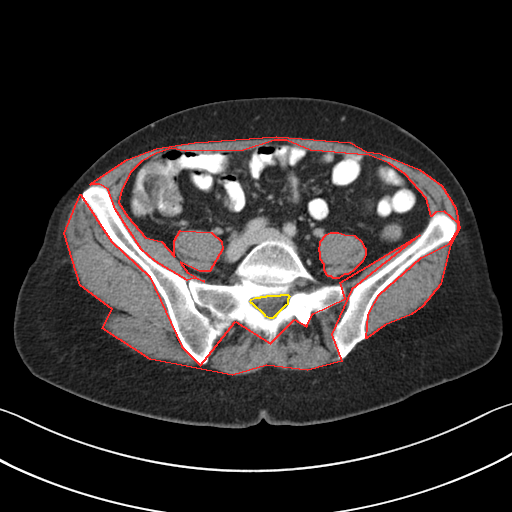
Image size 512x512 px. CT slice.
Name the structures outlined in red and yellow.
red: muscle; yellow: spinal cord.
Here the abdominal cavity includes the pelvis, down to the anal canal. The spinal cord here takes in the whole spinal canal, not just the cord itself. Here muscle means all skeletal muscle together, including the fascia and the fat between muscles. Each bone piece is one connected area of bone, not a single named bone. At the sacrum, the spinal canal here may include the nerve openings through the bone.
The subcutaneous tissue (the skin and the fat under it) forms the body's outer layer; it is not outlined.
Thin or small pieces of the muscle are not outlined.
{"muscle":[[[80,194],[111,241],[149,276],[181,346],[200,365],[235,321],[270,343],[294,319],[306,326],[313,313],[345,298],[340,282],[419,235],[351,289],[331,334],[341,361],[307,370],[266,365],[232,375],[150,359],[102,328],[112,309],[80,285],[64,233]],[[276,136],[350,142],[366,151],[380,153],[419,169],[441,185],[455,207],[459,228],[450,244],[440,284],[422,306],[411,314],[384,325],[366,338],[368,314],[379,294],[421,257],[449,243],[458,229],[458,223],[444,211],[435,212],[431,216],[426,198],[405,174],[389,163],[369,155],[310,150],[286,140],[274,140],[243,150],[185,151],[171,148],[156,153],[141,161],[130,172],[121,189],[118,202],[127,216],[145,237],[161,241],[174,256],[174,240],[180,230],[211,232],[221,241],[222,249],[209,271],[199,271],[180,262],[187,272],[204,281],[193,278],[187,280],[155,261],[141,249],[115,209],[108,189],[99,184],[90,184],[92,182],[127,159],[156,148],[194,142]],[[330,232],[338,232],[344,234],[354,235],[361,241],[363,246],[365,248],[365,255],[361,262],[352,271],[347,274],[344,274],[338,278],[333,278],[331,276],[328,276],[327,275],[324,270],[324,264],[320,259],[320,252],[319,251],[320,241],[326,234]]],"spinal_cord":[[[281,294],[287,294],[289,296],[287,299],[287,304],[285,305],[275,315],[275,316],[274,316],[272,318],[269,318],[265,316],[265,315],[252,303],[251,303],[250,301],[251,299],[255,297],[260,297],[261,296],[266,296],[267,295],[280,295]]],"bones":[{"outer":[[90,185],[107,189],[143,252],[187,281],[232,284],[250,250],[276,238],[291,243],[315,278],[305,282],[306,290],[334,284],[345,296],[313,312],[306,325],[295,318],[282,324],[270,342],[262,331],[235,320],[200,364],[182,346],[150,276],[81,201]],"hole":[[281,294],[287,294],[289,296],[287,299],[287,304],[285,305],[275,315],[275,316],[274,316],[272,318],[269,318],[265,316],[265,315],[252,303],[251,303],[250,301],[251,299],[255,297],[260,297],[261,296],[266,296],[267,295],[280,295]]},[[438,212],[444,212],[457,223],[457,229],[453,238],[449,242],[443,243],[421,256],[378,294],[367,314],[365,339],[358,342],[343,359],[337,360],[332,334],[335,325],[348,305],[348,296],[352,289],[376,273],[411,245],[426,227],[432,215]]],"abdominal_cavity":[{"outer":[[274,141],[389,164],[425,198],[430,214],[425,227],[338,284],[317,281],[292,243],[276,237],[253,246],[228,284],[206,282],[181,262],[209,272],[222,241],[211,231],[180,229],[174,255],[128,216],[119,202],[122,189],[141,162],[167,150],[243,151]],"hole":[[330,232],[338,232],[344,234],[354,235],[361,241],[363,246],[365,248],[365,255],[361,262],[352,271],[347,274],[344,274],[338,278],[333,278],[331,276],[328,276],[327,275],[324,270],[324,264],[320,259],[320,252],[319,251],[320,241],[326,234]]}],"torso":[[[262,96],[317,97],[362,107],[406,129],[444,161],[475,213],[501,305],[503,336],[495,356],[474,371],[397,403],[298,426],[264,419],[244,428],[165,421],[104,406],[34,376],[14,345],[14,309],[50,213],[64,191],[106,150],[161,117],[212,101]]]}